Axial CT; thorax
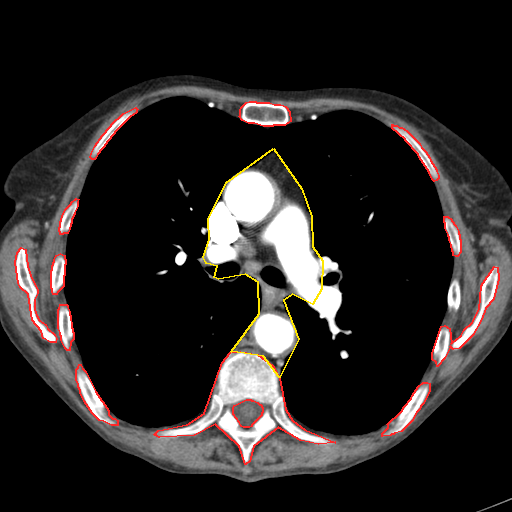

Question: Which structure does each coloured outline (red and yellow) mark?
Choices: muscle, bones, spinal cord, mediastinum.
Answer: red: bones; yellow: mediastinum.
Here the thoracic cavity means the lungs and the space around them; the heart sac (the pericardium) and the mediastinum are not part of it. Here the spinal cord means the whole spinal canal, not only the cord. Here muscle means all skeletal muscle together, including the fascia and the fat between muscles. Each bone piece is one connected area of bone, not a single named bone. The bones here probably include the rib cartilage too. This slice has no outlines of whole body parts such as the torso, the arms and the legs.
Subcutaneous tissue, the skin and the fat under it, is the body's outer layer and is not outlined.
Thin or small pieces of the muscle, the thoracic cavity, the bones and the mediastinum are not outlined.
The bones appear in 12 outlined pieces: piece 1: [[240,351],[257,354],[272,365],[279,378],[285,409],[292,420],[304,429],[335,442],[318,444],[300,440],[278,427],[253,446],[249,461],[245,464],[239,446],[215,424],[194,435],[159,437],[154,434],[158,430],[187,424],[204,413],[222,362],[230,352]], around a hole outlined by [[246,399],[250,399],[251,400],[253,400],[257,402],[259,404],[260,404],[262,407],[262,412],[261,413],[261,415],[251,425],[251,426],[249,427],[243,427],[241,426],[239,422],[233,414],[233,407],[234,405]]; piece 2: [[494,266],[497,267],[498,278],[493,299],[485,308],[481,319],[472,335],[459,348],[453,349],[450,346],[444,358],[437,366],[436,362],[432,359],[432,353],[441,326],[444,325],[449,328],[451,343],[461,335],[464,329],[472,322],[479,309],[481,285]]; piece 3: [[249,101],[255,101],[256,102],[269,102],[274,104],[280,104],[283,105],[285,106],[289,111],[290,121],[284,125],[273,125],[272,126],[263,126],[254,123],[248,123],[242,120],[239,116],[240,115],[240,109],[241,107],[246,102]]; piece 4: [[21,247],[25,249],[27,266],[31,278],[37,289],[37,293],[34,299],[34,309],[36,315],[39,320],[45,324],[47,328],[54,334],[56,338],[55,342],[50,342],[43,338],[41,331],[32,320],[28,294],[20,287],[18,283],[15,262],[17,252]]; piece 5: [[79,364],[80,364],[82,368],[85,371],[95,391],[108,410],[108,414],[112,418],[114,418],[117,420],[117,425],[111,425],[103,421],[99,420],[92,413],[84,401],[80,392],[80,390],[78,387],[78,384],[76,379],[76,369],[78,367]]; piece 6: [[423,382],[427,382],[429,383],[429,390],[423,403],[420,406],[419,409],[416,412],[411,421],[401,431],[394,433],[393,434],[391,434],[390,435],[382,436],[382,433],[388,427],[388,425],[387,424],[401,411],[404,406],[411,398],[412,395],[418,386]]; piece 7: [[392,124],[393,125],[396,125],[399,127],[401,127],[406,130],[419,143],[421,147],[425,151],[429,157],[430,160],[436,169],[436,171],[438,175],[438,178],[436,180],[434,181],[432,179],[429,172],[419,157],[418,154],[405,140],[405,139],[392,128]]; piece 8: [[60,304],[66,304],[67,305],[67,307],[69,311],[69,314],[70,315],[71,327],[72,328],[72,331],[73,332],[73,339],[70,342],[69,350],[67,350],[65,348],[61,340],[61,336],[60,335],[60,332],[58,328],[58,309],[59,308]]; piece 9: [[135,107],[137,109],[136,110],[136,112],[129,117],[114,132],[114,133],[110,137],[110,138],[106,142],[106,143],[97,154],[95,158],[94,159],[92,159],[90,157],[91,153],[95,145],[102,135],[106,131],[106,130],[111,125],[111,124],[123,113]]; piece 10: [[60,253],[64,255],[64,258],[65,259],[65,264],[64,265],[64,275],[63,276],[63,286],[57,292],[56,294],[53,294],[52,292],[52,289],[51,288],[51,270],[52,269],[52,265],[53,264],[53,262],[54,261],[54,259],[56,255]]; piece 11: [[444,216],[447,216],[451,219],[451,220],[455,225],[458,231],[458,233],[459,234],[459,238],[460,239],[460,252],[457,256],[455,256],[453,255],[453,252],[452,251],[451,244],[449,240],[449,237],[448,236],[448,234],[445,228],[445,223],[444,222]]; piece 12: [[76,198],[78,199],[77,201],[77,206],[74,212],[74,214],[71,219],[71,223],[70,224],[69,229],[67,233],[63,233],[62,234],[60,234],[60,232],[59,231],[59,227],[60,226],[60,221],[61,220],[62,215],[66,208],[71,203],[71,202]]. The mediastinum is outlined by [[273,148],[301,188],[311,216],[312,246],[322,260],[321,289],[312,304],[292,294],[283,300],[298,339],[279,377],[263,356],[231,351],[259,313],[258,282],[245,274],[218,279],[214,277],[217,266],[206,263],[203,257],[209,239],[208,219],[226,182]]. The thoracic cavity is outlined by [[177,96],[268,131],[357,111],[417,154],[452,272],[431,358],[386,424],[313,432],[286,409],[299,336],[284,300],[313,304],[323,260],[274,147],[207,219],[213,277],[253,278],[260,307],[205,411],[148,427],[96,391],[64,291],[68,232],[115,132]]. The muscle is outlined by [[177,85],[194,85],[207,87],[227,91],[237,95],[254,96],[261,98],[265,101],[270,101],[273,99],[305,100],[318,97],[343,98],[369,103],[393,114],[414,126],[429,144],[433,154],[441,165],[443,172],[451,181],[451,189],[461,218],[464,224],[469,228],[473,235],[475,237],[477,236],[480,237],[481,234],[484,232],[489,232],[496,235],[505,243],[507,248],[511,252],[511,292],[505,309],[505,313],[499,322],[497,330],[493,337],[482,348],[476,357],[467,365],[460,375],[425,411],[421,417],[401,436],[389,444],[365,456],[358,457],[345,463],[332,463],[325,467],[299,467],[277,472],[259,472],[244,475],[237,471],[220,469],[195,469],[187,468],[183,466],[176,466],[173,463],[157,460],[144,455],[139,451],[134,450],[109,438],[69,398],[66,392],[54,379],[48,370],[33,355],[29,348],[14,330],[0,296],[0,245],[4,237],[15,224],[26,218],[36,219],[42,225],[54,215],[70,181],[74,166],[78,158],[86,148],[94,133],[101,124],[124,102],[130,98],[160,88]]; inner edges: [[177,96],[212,102],[236,117],[249,101],[280,104],[291,122],[357,111],[403,128],[425,151],[438,175],[441,211],[460,239],[451,273],[460,284],[459,307],[446,309],[441,321],[450,342],[476,315],[490,270],[496,266],[498,278],[472,335],[450,346],[437,366],[430,359],[420,380],[429,383],[428,393],[401,431],[382,436],[385,424],[360,434],[316,432],[335,441],[318,444],[278,427],[245,464],[215,424],[159,437],[153,433],[170,426],[134,424],[109,410],[117,420],[111,425],[92,413],[76,379],[79,364],[84,368],[78,346],[73,339],[67,350],[58,328],[64,287],[56,294],[51,288],[54,259],[67,247],[60,221],[80,197],[91,153],[111,124],[132,108]], then [[21,247],[25,249],[27,266],[31,278],[37,289],[37,293],[34,299],[34,309],[36,315],[39,320],[45,324],[47,328],[54,334],[56,338],[55,342],[50,342],[43,338],[41,331],[32,320],[28,294],[20,287],[18,283],[15,262],[17,252]]. The spinal cord is outlined by [[246,399],[250,399],[251,400],[253,400],[257,402],[259,404],[260,404],[262,407],[262,412],[261,413],[261,415],[251,425],[251,426],[249,427],[243,427],[241,426],[239,422],[233,414],[233,407],[234,405]].